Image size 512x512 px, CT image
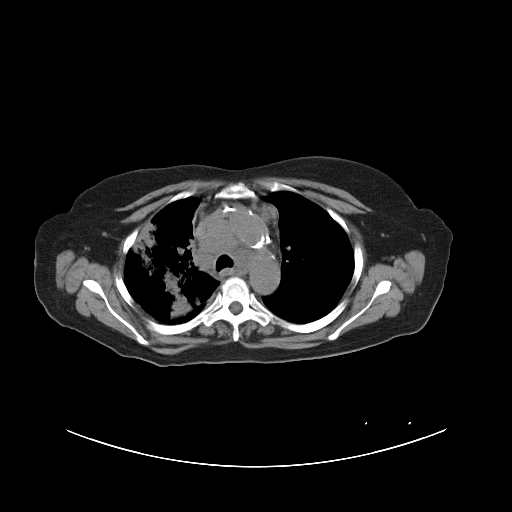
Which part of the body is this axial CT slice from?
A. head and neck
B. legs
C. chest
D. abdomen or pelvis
C. chest
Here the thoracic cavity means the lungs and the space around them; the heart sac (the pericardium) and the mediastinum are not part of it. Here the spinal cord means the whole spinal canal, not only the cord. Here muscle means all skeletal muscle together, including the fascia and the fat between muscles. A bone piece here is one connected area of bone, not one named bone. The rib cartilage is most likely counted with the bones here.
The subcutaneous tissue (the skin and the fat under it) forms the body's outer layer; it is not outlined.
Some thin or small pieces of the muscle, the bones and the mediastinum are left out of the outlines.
torso: 304 155; 347 158; 383 171; 402 186; 417 207; 432 209; 451 229; 444 286; 421 330; 323 358; 164 367; 122 356; 59 325; 39 302; 33 270; 34 240; 40 224; 49 216; 67 211; 82 191; 102 179; 139 168; 199 163; 240 169
mediastinum: 197 196; 230 200; 256 199; 262 197; 266 202; 272 204; 276 208; 278 213; 277 224; 279 230; 281 263; 279 284; 273 293; 264 295; 261 299; 258 299; 243 278; 233 275; 220 283; 207 272; 202 270; 196 257; 195 220; 200 202
muscle 1: 264 176; 292 177; 325 183; 349 192; 371 208; 372 213; 354 213; 347 216; 363 237; 369 265; 378 262; 391 265; 396 257; 413 249; 424 254; 422 281; 402 302; 396 316; 355 327; 339 337; 341 331; 364 313; 379 295; 389 291; 392 282; 389 279; 381 279; 367 303; 326 336; 329 341; 299 349; 249 348; 236 342; 240 337; 239 326; 248 320; 255 321; 263 327; 270 323; 303 334; 323 328; 346 308; 349 299; 341 299; 350 283; 353 288; 357 285; 364 266; 362 247; 358 242; 352 246; 348 237; 350 230; 339 213; 328 206; 323 208; 304 196; 296 187; 276 180; 261 180; 259 185; 269 192; 258 197; 242 180
muscle 2: 126 235; 122 244; 123 274; 114 274; 114 284; 130 307; 135 302; 153 318; 144 319; 146 328; 161 335; 175 335; 200 324; 210 327; 223 320; 232 327; 233 342; 192 347; 175 354; 158 353; 144 346; 150 342; 113 309; 102 286; 92 278; 84 279; 82 284; 100 296; 108 311; 130 330; 135 340; 96 319; 82 316; 73 298; 56 286; 56 256; 72 249; 100 264; 110 264; 120 240
muscle 3: 190 179; 219 179; 236 182; 222 187; 213 194; 213 197; 196 195; 198 190; 193 186; 191 188; 181 190; 171 196; 165 205; 143 226; 139 233; 138 227; 132 229; 132 223; 121 222; 121 220; 131 211; 116 209; 126 206; 150 191
bones 1: 233 276; 243 279; 272 313; 295 324; 323 317; 345 298; 348 302; 331 322; 305 333; 248 319; 238 326; 234 341; 232 325; 219 319; 210 326; 200 323; 180 333; 161 334; 148 329; 145 319; 165 325; 185 323; 210 304; 220 284; inner edge: 233 302; 238 302; 241 305; 241 306; 242 307; 242 309; 238 313; 234 313; 233 312; 232 312; 230 310; 230 309; 229 308; 229 306; 231 304; 231 303; 232 303
bones 2: 86 279; 95 280; 101 286; 102 290; 107 298; 108 303; 112 309; 123 319; 131 324; 149 342; 148 345; 143 345; 138 343; 136 340; 135 335; 131 330; 117 319; 109 311; 104 300; 101 296; 98 293; 90 290; 83 284; 83 281
bones 3: 239 181; 241 181; 243 182; 250 189; 253 190; 256 193; 257 195; 257 197; 256 198; 237 198; 236 199; 230 199; 229 198; 215 198; 214 197; 214 194; 216 192; 219 191; 222 188; 230 184; 233 184; 234 183; 236 183
bones 4: 381 280; 389 280; 391 282; 388 291; 385 293; 379 294; 373 300; 371 304; 364 312; 350 322; 340 331; 339 335; 336 339; 328 340; 327 339; 327 336; 329 334; 332 333; 341 324; 357 313; 368 303; 374 293; 375 288; 378 282
bones 5: 356 243; 358 243; 360 245; 361 249; 362 250; 362 256; 363 257; 363 266; 362 267; 362 270; 361 271; 359 279; 356 285; 354 287; 353 287; 353 285; 351 283; 351 279; 352 278; 353 272; 354 271; 354 251; 353 250; 353 246
bones 6: 261 181; 276 181; 280 183; 283 183; 284 184; 286 184; 296 188; 300 191; 301 194; 294 192; 293 191; 290 191; 289 190; 277 190; 272 192; 271 191; 266 190; 263 188; 260 185; 260 182
bones 7: 117 273; 119 273; 122 275; 122 278; 123 279; 124 284; 128 292; 134 300; 134 303; 133 304; 134 306; 133 307; 130 306; 125 301; 125 300; 122 297; 121 294; 119 292; 115 284; 115 280; 114 279; 114 277; 115 276; 115 274
bones 8: 135 228; 138 228; 138 233; 135 239; 135 241; 133 245; 128 250; 126 254; 124 254; 123 253; 123 244; 124 243; 125 238; 127 236; 127 235; 130 232; 131 232; 132 230; 133 230
bones 9: 193 187; 195 187; 197 190; 197 192; 195 195; 192 195; 191 196; 188 196; 184 198; 177 199; 169 203; 167 203; 168 200; 175 194; 181 191; 183 191; 184 190; 188 190; 189 189; 191 189
bones 10: 327 207; 328 207; 329 208; 330 208; 332 210; 335 211; 341 216; 341 217; 344 220; 344 221; 345 222; 345 223; 349 230; 349 232; 348 233; 347 233; 345 231; 345 230; 328 213; 328 212; 325 209; 325 208; 326 208
thoracic cavity 1: 277 191; 289 191; 302 195; 324 209; 347 234; 353 251; 352 275; 340 300; 323 316; 305 323; 288 321; 272 312; 259 300; 264 296; 273 294; 278 289; 281 280; 282 254; 278 224; 279 213; 272 203; 263 198; 270 192; 272 193
thoracic cavity 2: 192 196; 196 196; 199 201; 194 220; 194 242; 196 261; 202 271; 218 281; 219 290; 215 293; 211 302; 189 320; 176 324; 165 324; 156 321; 135 301; 129 292; 123 278; 126 255; 134 245; 138 234; 159 210; 174 201
spinal cord: 233 302; 238 302; 241 305; 241 306; 242 307; 242 309; 238 313; 234 313; 233 312; 232 312; 230 310; 230 309; 229 308; 229 306; 231 304; 231 303; 232 303